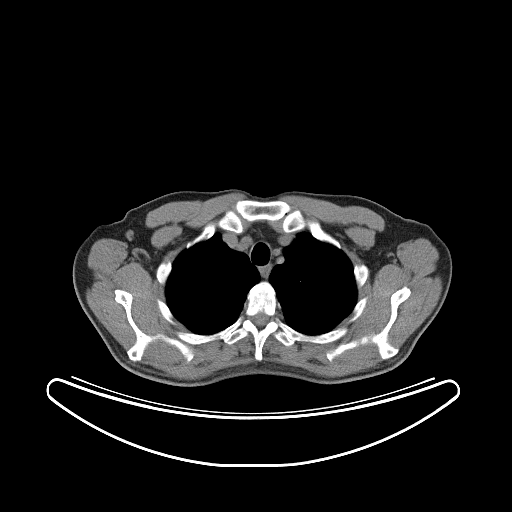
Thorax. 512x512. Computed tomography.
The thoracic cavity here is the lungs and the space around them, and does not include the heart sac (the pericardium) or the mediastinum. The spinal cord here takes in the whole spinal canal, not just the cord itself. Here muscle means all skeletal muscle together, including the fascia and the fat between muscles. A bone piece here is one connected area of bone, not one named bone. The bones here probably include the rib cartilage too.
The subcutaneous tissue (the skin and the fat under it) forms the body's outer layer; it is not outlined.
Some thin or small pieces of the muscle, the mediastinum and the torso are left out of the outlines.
Outlined structures:
left arm: [[414,219],[420,222],[423,222],[424,223],[428,224],[447,245],[451,254],[451,258],[452,259],[452,269],[442,269],[441,268],[438,268],[437,267],[432,266],[421,260],[414,253],[410,246],[410,243],[409,242],[409,231],[410,230],[411,224]]
torso: [[230,188],[258,196],[291,190],[357,195],[413,219],[413,253],[432,267],[452,270],[452,277],[441,309],[407,358],[385,373],[336,384],[256,374],[186,387],[122,367],[84,313],[73,282],[104,279],[123,263],[127,240],[118,220],[131,208],[174,191]]
spinal cord: [[260,312],[262,312],[263,313],[264,313],[268,317],[268,320],[267,321],[267,322],[266,323],[266,324],[263,327],[262,327],[261,328],[259,328],[258,327],[257,327],[253,323],[253,322],[252,321],[252,318],[256,314],[257,314],[258,313],[259,313]]
muscle 1: [[230,193],[248,198],[238,199],[215,221],[208,222],[172,261],[166,257],[155,270],[165,296],[165,301],[155,300],[159,312],[172,325],[176,324],[175,318],[187,331],[177,330],[175,336],[144,332],[132,315],[133,295],[122,288],[114,289],[114,300],[123,307],[135,335],[125,351],[85,298],[91,246],[100,238],[126,242],[128,255],[150,270],[159,255],[150,240],[151,230],[145,225],[149,211],[171,201],[206,200]]
muscle 2: [[419,237],[438,250],[442,289],[429,315],[400,349],[389,341],[388,334],[399,306],[411,294],[403,285],[390,295],[389,317],[378,332],[341,342],[325,352],[331,362],[347,350],[374,344],[383,360],[376,366],[327,377],[262,361],[270,335],[286,347],[342,338],[348,328],[338,324],[350,314],[348,322],[356,320],[367,304],[367,296],[358,299],[358,290],[368,278],[368,266],[373,274],[392,261],[398,244]]
muscle 3: [[286,195],[316,198],[341,206],[363,206],[379,214],[385,221],[385,227],[383,231],[376,233],[374,245],[364,252],[363,258],[367,265],[363,262],[353,264],[342,249],[340,242],[326,231],[319,221],[306,217],[300,209],[293,208],[288,202],[277,199]]
muscle 4: [[249,334],[253,339],[253,356],[256,362],[223,368],[200,378],[171,377],[159,373],[158,369],[147,364],[133,363],[128,360],[128,358],[133,362],[139,362],[150,343],[162,341],[175,347],[188,363],[195,355],[190,345],[216,340],[232,345]]
mediastinum: [[257,221],[267,221],[276,229],[281,229],[285,233],[304,230],[300,231],[291,243],[283,248],[284,261],[272,268],[267,280],[261,280],[258,270],[245,253],[232,249],[224,242],[221,235],[216,232],[218,229],[221,229],[239,234],[244,231],[249,223]]
thoracic cavity 1: [[215,233],[218,233],[223,242],[232,250],[247,256],[249,262],[257,270],[260,280],[248,290],[243,309],[234,322],[212,333],[196,333],[190,331],[174,317],[166,302],[165,285],[172,270],[173,261],[180,252],[185,248],[188,249],[197,243],[208,240]]
thoracic cavity 2: [[306,229],[318,241],[330,244],[344,252],[352,264],[352,272],[357,289],[357,300],[351,312],[334,328],[318,334],[301,332],[287,324],[281,318],[281,304],[277,298],[274,287],[268,280],[273,268],[285,261],[283,252],[284,248],[290,245],[297,235]]
bones 1: [[260,281],[273,287],[287,325],[308,335],[345,326],[339,339],[286,346],[270,334],[261,361],[250,333],[232,344],[190,344],[188,362],[162,340],[150,342],[139,361],[128,357],[136,335],[115,289],[132,295],[131,315],[144,333],[175,337],[231,325]] with a hole at [[260,312],[262,312],[263,313],[264,313],[268,317],[268,320],[267,321],[267,322],[266,323],[266,324],[263,327],[262,327],[261,328],[259,328],[258,327],[257,327],[253,323],[253,322],[252,321],[252,318],[256,314],[257,314],[258,313],[259,313]]
bones 2: [[246,199],[281,200],[288,203],[306,218],[319,222],[339,242],[341,248],[318,240],[307,228],[285,232],[281,227],[281,219],[273,225],[267,220],[248,222],[244,219],[242,232],[217,228],[208,239],[186,248],[186,243],[208,223],[215,222],[238,200]]
bones 3: [[403,286],[407,286],[410,289],[410,294],[398,306],[397,316],[387,334],[388,341],[399,349],[395,355],[382,359],[377,346],[374,343],[367,343],[347,349],[331,361],[327,358],[326,352],[341,343],[347,343],[365,335],[378,333],[389,320],[391,295]]
bones 4: [[361,263],[363,263],[367,266],[368,268],[368,275],[363,285],[360,288],[360,289],[358,289],[357,288],[357,286],[356,285],[356,282],[355,281],[355,278],[354,277],[354,273],[353,272],[353,265],[355,264],[360,264]]
bones 5: [[166,258],[170,260],[172,262],[171,264],[171,270],[168,275],[168,277],[166,280],[166,282],[165,284],[164,285],[162,285],[160,284],[160,283],[158,281],[156,277],[156,270],[157,269],[157,267],[158,265],[163,260],[164,260]]
bones 6: [[157,299],[160,299],[164,301],[166,303],[167,306],[169,308],[170,311],[173,315],[173,317],[174,318],[173,319],[175,321],[175,324],[172,324],[170,322],[169,322],[162,315],[162,314],[160,312],[158,308],[158,305],[156,301]]
bones 7: [[363,297],[367,297],[367,300],[366,301],[366,304],[365,305],[361,314],[356,319],[355,319],[351,322],[349,322],[349,319],[352,315],[351,314],[351,313],[352,312],[352,311],[353,310],[357,301],[359,299],[360,299]]
right arm: [[115,221],[118,221],[120,223],[124,231],[125,239],[126,240],[126,252],[122,263],[110,275],[104,278],[101,278],[96,280],[91,280],[86,282],[73,281],[72,280],[72,265],[73,264],[74,256],[78,247],[97,226],[101,224],[111,223]]